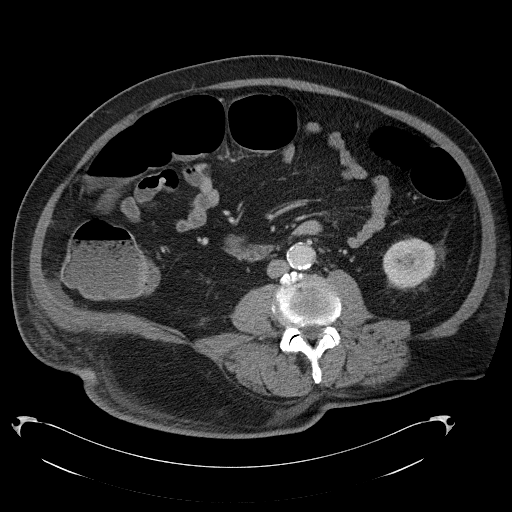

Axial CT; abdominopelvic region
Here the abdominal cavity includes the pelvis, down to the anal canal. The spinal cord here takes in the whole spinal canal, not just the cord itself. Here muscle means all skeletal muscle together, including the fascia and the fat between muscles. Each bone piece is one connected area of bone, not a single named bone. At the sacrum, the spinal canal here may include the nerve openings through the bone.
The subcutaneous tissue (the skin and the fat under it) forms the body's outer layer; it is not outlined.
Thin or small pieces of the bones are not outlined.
The abdominal cavity is outlined by (260, 85) (363, 103) (455, 158) (477, 206) (481, 241) (472, 286) (453, 314) (413, 333) (407, 319) (370, 312) (342, 269) (326, 277) (292, 270) (278, 286) (254, 287) (230, 308) (236, 330) (206, 336) (82, 308) (51, 291) (42, 251) (55, 206) (110, 138) (172, 98). The bones are outlined by (292, 271) (316, 273) (326, 278) (337, 292) (341, 302) (341, 312) (331, 324) (340, 336) (340, 343) (327, 348) (318, 359) (321, 370) (319, 383) (314, 382) (311, 363) (304, 353) (284, 352) (279, 346) (285, 328) (273, 316) (271, 305) (274, 292) (280, 285) (280, 278) with a hole at (312, 325) (317, 325) (318, 326) (321, 326) (322, 327) (321, 329) (321, 335) (318, 338) (316, 339) (314, 339) (313, 340) (308, 340) (307, 339) (305, 339) (303, 337) (303, 334) (300, 330) (300, 328) (302, 327) (304, 327) (305, 326) (311, 326). The spinal cord is outlined by (312, 325) (317, 325) (318, 326) (321, 326) (322, 327) (321, 329) (321, 335) (318, 338) (316, 339) (314, 339) (313, 340) (308, 340) (307, 339) (305, 339) (303, 337) (303, 334) (300, 330) (300, 328) (302, 327) (304, 327) (305, 326) (311, 326). The torso is outlined by (248, 54) (312, 58) (391, 79) (441, 105) (480, 142) (501, 183) (510, 249) (505, 312) (482, 377) (331, 408) (301, 432) (207, 438) (116, 418) (86, 395) (77, 375) (44, 364) (27, 348) (12, 306) (11, 240) (22, 198) (46, 159) (88, 114) (123, 89) (176, 68). The muscle is outlined by (266, 77) (291, 78) (298, 80) (304, 80) (340, 89) (405, 111) (429, 123) (444, 133) (463, 151) (476, 171) (485, 189) (487, 197) (490, 202) (490, 206) (494, 219) (495, 234) (496, 235) (496, 261) (491, 277) (491, 281) (476, 312) (461, 328) (451, 335) (439, 337) (438, 338) (432, 338) (431, 339) (413, 339) (411, 340) (408, 343) (410, 349) (410, 358) (407, 365) (399, 375) (393, 380) (382, 386) (373, 388) (369, 390) (342, 390) (339, 388) (335, 389) (330, 387) (318, 386) (309, 393) (306, 397) (299, 400) (294, 400) (291, 402) (275, 402) (271, 401) (265, 398) (253, 395) (247, 391) (241, 389) (232, 380) (229, 379) (213, 361) (192, 350) (178, 346) (175, 344) (164, 342) (160, 340) (152, 340) (136, 336) (92, 334) (91, 333) (71, 333) (60, 329) (45, 315) (33, 295) (29, 279) (29, 254) (31, 248) (32, 237) (37, 221) (40, 216) (39, 215) (41, 213) (48, 199) (60, 183) (65, 174) (86, 149) (101, 134) (113, 124) (135, 109) (166, 94) (187, 89) (190, 87) (200, 87) (201, 86) (210, 85) (219, 82) (229, 81) (235, 79) (265, 78); inner edge: (260, 85) (351, 99) (417, 129) (458, 162) (479, 214) (472, 286) (423, 331) (374, 315) (351, 275) (329, 272) (340, 343) (318, 359) (319, 383) (304, 353) (279, 346) (277, 284) (235, 302) (236, 330) (189, 336) (65, 303) (42, 267) (62, 192) (110, 138) (172, 98).